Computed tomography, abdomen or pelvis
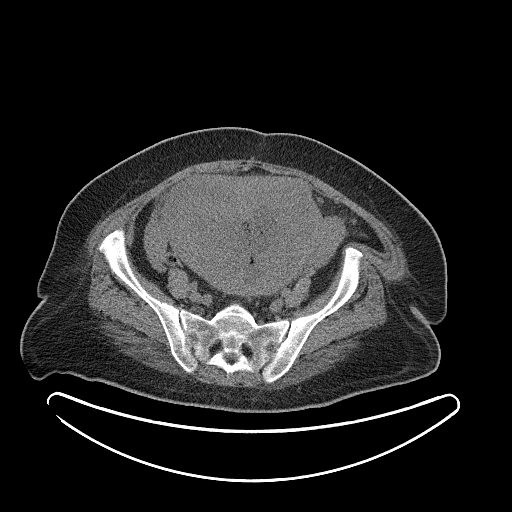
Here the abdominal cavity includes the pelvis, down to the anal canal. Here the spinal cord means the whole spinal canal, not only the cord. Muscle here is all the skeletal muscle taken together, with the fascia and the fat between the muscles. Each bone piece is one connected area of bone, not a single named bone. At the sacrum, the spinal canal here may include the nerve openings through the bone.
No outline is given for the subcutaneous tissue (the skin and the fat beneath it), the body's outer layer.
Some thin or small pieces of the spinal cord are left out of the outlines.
Outlined structures:
spinal cord 1: 218 341; 220 341; 222 343; 222 346; 215 353; 212 353; 210 351; 210 348; 211 347; 211 346; 213 344; 215 344
spinal cord 2: 243 344; 248 344; 250 346; 250 351; 251 352; 251 354; 249 356; 246 356; 244 354; 244 353; 243 352; 243 350; 241 348; 241 346
torso: 219 127; 315 139; 372 170; 423 214; 438 235; 447 270; 447 312; 431 327; 440 348; 435 371; 327 406; 276 413; 176 404; 72 374; 55 372; 40 380; 30 375; 20 354; 20 337; 40 301; 37 283; 70 200; 93 178; 157 142
abdominal cavity: 253 167; 310 182; 322 195; 365 220; 383 250; 348 242; 325 290; 302 307; 310 279; 300 277; 287 292; 285 302; 296 308; 288 318; 259 323; 235 301; 210 318; 182 308; 134 264; 130 248; 137 215; 152 199; 192 174; 237 173, around a hole outlined by 172 268; 178 268; 179 269; 181 269; 183 270; 187 274; 187 277; 188 278; 188 281; 189 282; 189 290; 187 291; 187 293; 183 297; 179 297; 178 298; 177 297; 175 297; 170 292; 167 286; 169 270
bones: 120 228; 132 272; 146 291; 207 319; 234 302; 259 324; 318 311; 336 290; 346 247; 363 255; 359 281; 347 301; 314 326; 290 368; 276 380; 266 382; 260 371; 227 375; 200 361; 188 373; 173 357; 157 314; 110 269; 97 248 with holes at 218 341; 220 341; 222 343; 222 346; 215 353; 212 353; 210 351; 210 348; 211 347; 211 346; 213 344; 215 344 and at 243 344; 248 344; 250 346; 250 351; 251 352; 251 354; 249 356; 246 356; 244 354; 244 353; 243 352; 243 350; 241 348; 241 346 and at 232 354; 233 354; 236 357; 236 360; 234 362; 233 362; 232 363; 230 363; 229 362; 228 362; 226 360; 226 359; 225 358; 225 355; 228 355; 229 356; 230 355; 231 355
muscle 1: 251 157; 254 157; 258 160; 266 161; 269 163; 294 167; 314 175; 337 190; 339 190; 350 199; 375 215; 388 225; 388 227; 398 236; 402 242; 401 247; 407 259; 407 265; 411 276; 404 278; 398 283; 390 284; 388 286; 388 291; 387 293; 386 291; 385 292; 387 311; 387 320; 385 323; 373 329; 367 335; 363 337; 361 339; 362 343; 359 347; 355 349; 347 358; 337 363; 334 367; 299 383; 287 386; 281 389; 272 390; 259 389; 254 387; 247 388; 246 387; 220 386; 213 384; 207 384; 200 381; 194 381; 193 379; 192 380; 187 378; 182 379; 177 375; 172 375; 149 367; 120 352; 109 341; 109 338; 100 331; 98 327; 98 323; 96 322; 96 317; 92 313; 92 310; 90 309; 87 303; 87 293; 90 282; 89 280; 90 266; 88 265; 89 260; 87 258; 87 252; 84 244; 91 229; 100 219; 105 217; 110 212; 112 212; 121 205; 153 187; 175 172; 189 165; 201 162; 214 161; 219 159; 249 159 with a hole at 253 167; 310 182; 383 246; 348 242; 329 285; 302 307; 310 279; 287 292; 290 321; 321 309; 350 246; 363 255; 359 281; 270 383; 200 361; 186 372; 157 314; 97 248; 123 229; 135 277; 180 309; 134 264; 137 215; 192 174
muscle 2: 172 268; 178 268; 179 269; 181 269; 183 270; 187 274; 187 277; 188 278; 188 281; 189 282; 189 290; 187 291; 187 293; 183 297; 179 297; 178 298; 177 297; 175 297; 170 292; 167 286; 169 270